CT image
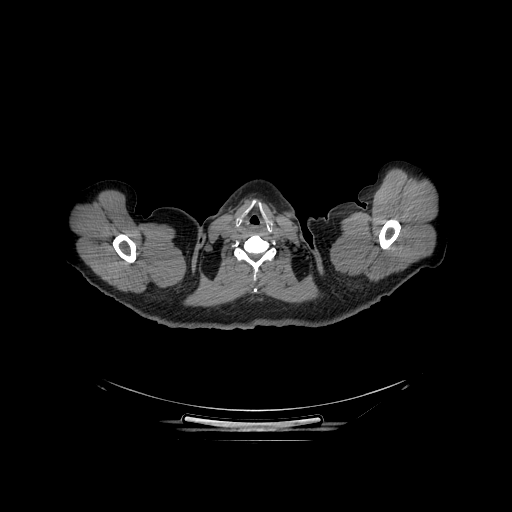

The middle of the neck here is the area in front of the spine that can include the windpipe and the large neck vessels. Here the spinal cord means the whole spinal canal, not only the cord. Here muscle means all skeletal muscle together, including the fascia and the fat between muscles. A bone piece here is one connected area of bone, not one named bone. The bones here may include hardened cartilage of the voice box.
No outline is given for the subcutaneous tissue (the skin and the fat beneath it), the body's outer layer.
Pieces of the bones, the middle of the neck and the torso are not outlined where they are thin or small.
The spinal cord is outlined by 249,253 252,253 253,254 259,254 260,253 261,253 262,254 261,255 261,256 258,259 257,259 256,260 254,260 253,259 252,259 248,255 248,254. The torso is outlined by 306,240 313,246 314,254 329,287 343,303 360,312 355,315 321,327 258,325 252,329 229,330 172,328 144,318 165,309 181,295 198,261 205,279 226,304 244,312 260,311 271,307 297,284 303,273 308,260. The right arm is outlined by 104,179 121,180 133,187 137,195 135,212 138,214 146,217 156,208 174,206 192,215 201,226 197,245 198,260 187,285 171,304 147,317 138,315 90,285 75,268 65,261 56,242 50,221 52,214 72,193. The muscle appears in 3 outlined pieces: piece 1: 252,190 265,192 289,212 291,220 297,227 298,238 305,255 312,285 320,298 297,304 285,302 267,293 252,293 213,307 181,305 183,300 195,293 201,286 200,245 202,234 211,222 225,213 244,194, around a hole outlined by 253,199 262,203 267,216 273,223 271,232 259,235 265,240 274,239 276,242 275,256 260,265 255,281 253,280 253,268 246,261 236,259 232,246 236,240 242,242 252,234 240,231 235,225 235,220; piece 2: 392,167 402,168 410,175 419,178 427,178 435,188 438,212 434,223 436,243 433,252 402,271 384,277 381,281 354,280 335,272 329,261 329,244 337,228 338,221 352,212 369,212 374,192 382,182 386,171 with a hole at 391,218 394,218 395,219 398,220 398,221 401,225 401,228 399,231 399,233 398,234 396,239 390,245 389,248 388,249 382,249 378,242 378,236 379,235 379,232 384,223 384,221 385,221 388,219 390,219; piece 3: 104,189 116,189 121,191 126,196 126,209 137,224 147,222 165,223 173,226 177,230 188,267 188,270 182,280 165,288 146,290 141,293 124,292 102,280 82,260 76,249 71,234 71,215 76,205 87,197; inner edge: 119,233 123,233 127,235 135,243 135,245 136,246 136,258 134,262 132,263 128,263 125,260 124,260 121,257 120,257 120,256 116,252 112,244 112,241 114,237 116,236. The left arm is outlined by 394,159 406,160 433,171 453,190 455,211 445,256 438,266 421,269 390,295 360,311 343,302 327,282 315,254 306,219 308,216 325,216 330,208 346,201 363,207 365,205 357,198 358,192 375,181 384,163. The head and neck is outlined by 252,178 264,178 271,181 277,186 293,206 297,218 299,220 303,236 305,238 307,246 307,260 305,267 296,284 275,304 260,310 244,311 226,303 206,279 199,262 198,245 205,219 213,214 234,190 244,182. The middle of the neck is outlined by 256,205 258,207 258,209 261,214 261,216 263,218 263,220 266,226 266,229 268,232 267,233 249,233 245,231 240,231 240,230 238,229 238,228 242,223 244,217. The bones appear in 4 outlined pieces: piece 1: 252,234 259,234 265,240 270,241 274,239 276,242 275,256 271,260 265,260 260,265 257,273 257,278 255,281 253,280 253,268 246,261 239,261 236,259 233,254 234,248 232,246 232,244 236,240 242,242 with a hole at 249,253 252,253 253,254 259,254 260,253 261,253 262,254 261,255 261,256 258,259 257,259 256,260 254,260 253,259 252,259 248,255 248,254; piece 2: 119,233 123,233 127,235 135,243 135,245 136,246 136,258 134,262 132,263 128,263 125,260 124,260 121,257 120,257 120,256 116,252 112,244 112,241 114,237 116,236; piece 3: 391,218 394,218 395,219 398,220 398,221 401,225 401,228 399,231 399,233 398,234 396,239 390,245 389,248 388,249 382,249 378,242 378,236 379,235 379,232 384,223 384,221 385,221 388,219 390,219; piece 4: 253,199 256,199 262,203 263,208 267,216 272,221 273,223 271,227 272,229 271,232 268,231 264,218 262,216 259,207 256,204 243,217 242,221 239,226 237,227 235,225 236,217 237,217 249,205.